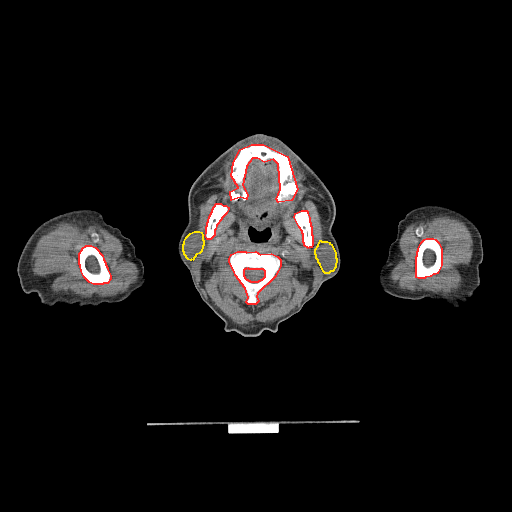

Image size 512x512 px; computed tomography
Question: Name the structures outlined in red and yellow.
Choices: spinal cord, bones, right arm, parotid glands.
Answer: red: bones; yellow: parotid glands.
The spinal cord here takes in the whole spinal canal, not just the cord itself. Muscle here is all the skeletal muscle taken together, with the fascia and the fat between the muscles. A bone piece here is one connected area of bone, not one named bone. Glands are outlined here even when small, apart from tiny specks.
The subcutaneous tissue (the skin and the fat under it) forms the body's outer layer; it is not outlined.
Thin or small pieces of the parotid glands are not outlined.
{"bones":[[[251,144],[263,144],[287,156],[297,189],[291,200],[278,202],[276,199],[280,189],[278,164],[273,159],[264,162],[257,158],[252,158],[246,166],[242,185],[247,194],[246,199],[240,197],[231,200],[230,191],[238,187],[231,176],[233,162],[240,149]],{"outer":[[237,251],[245,251],[246,252],[255,251],[260,254],[271,253],[277,256],[280,259],[280,266],[278,270],[274,277],[257,293],[256,296],[258,301],[255,304],[248,304],[246,302],[248,297],[245,288],[235,275],[234,271],[229,262],[229,258],[231,254]],"hole":[[247,267],[248,268],[262,268],[264,270],[264,277],[261,280],[260,280],[259,281],[258,281],[257,282],[251,282],[250,281],[249,281],[248,280],[247,280],[245,278],[245,277],[244,276],[244,269],[245,268],[246,268]]},[[86,245],[91,245],[95,247],[102,255],[103,259],[105,262],[105,264],[107,267],[107,269],[110,275],[110,279],[107,283],[103,283],[102,284],[93,284],[89,282],[84,277],[81,271],[80,265],[79,264],[79,253],[82,249],[82,248]],[[426,238],[433,238],[435,239],[438,242],[441,248],[441,265],[437,273],[435,274],[433,274],[430,276],[425,277],[424,278],[418,278],[416,277],[416,256],[417,255],[417,251],[418,250],[418,248],[421,242],[424,239]],[[301,210],[306,210],[307,211],[307,213],[309,217],[309,221],[310,222],[310,225],[311,226],[311,234],[312,235],[312,245],[311,247],[309,247],[308,248],[304,245],[304,243],[303,242],[303,234],[302,233],[302,231],[299,227],[294,217],[295,213]],[[216,203],[220,203],[223,205],[225,205],[228,207],[228,209],[226,213],[221,218],[221,219],[216,225],[215,229],[214,230],[214,235],[210,239],[207,239],[205,235],[206,233],[206,226],[207,225],[207,222],[208,221],[209,216],[212,211],[212,209]]],"parotid_glands":[[[320,240],[321,241],[327,241],[329,242],[329,243],[331,244],[335,253],[335,257],[336,258],[335,267],[332,271],[330,271],[328,273],[325,273],[323,271],[320,264],[318,262],[318,260],[316,258],[316,255],[315,254],[315,249],[318,245]],[[194,231],[199,231],[201,232],[202,234],[202,239],[203,240],[203,245],[202,246],[201,251],[199,253],[196,254],[192,260],[191,259],[190,260],[188,259],[184,254],[184,252],[183,251],[183,244],[184,243],[184,241],[186,237],[190,233]]],"muscle":[{"outer":[[254,140],[271,142],[289,153],[296,160],[307,181],[322,194],[323,202],[325,203],[321,221],[324,240],[320,239],[318,241],[314,254],[324,273],[315,285],[309,288],[300,303],[288,313],[272,322],[259,323],[254,327],[244,328],[234,323],[215,305],[204,291],[203,283],[192,275],[190,265],[196,255],[202,251],[204,245],[202,232],[196,230],[199,219],[198,205],[202,200],[203,183],[222,167],[225,160],[235,149]],"holes":[[[251,144],[263,144],[287,156],[297,189],[291,200],[278,202],[276,199],[280,189],[278,164],[273,159],[264,162],[257,158],[252,158],[246,166],[242,185],[247,194],[246,199],[240,197],[231,200],[230,191],[238,187],[231,176],[233,162],[240,149]],[[237,251],[245,251],[246,252],[255,251],[260,254],[271,253],[277,256],[280,259],[280,266],[278,270],[274,277],[257,293],[256,296],[258,301],[255,304],[248,304],[246,302],[248,297],[245,288],[235,275],[234,271],[229,262],[229,258],[231,254]],[[301,210],[306,210],[307,211],[307,213],[309,217],[309,221],[310,222],[310,225],[311,226],[311,234],[312,235],[312,245],[311,247],[309,247],[308,248],[304,245],[304,243],[303,242],[303,234],[302,233],[302,231],[299,227],[294,217],[295,213]],[[216,203],[220,203],[223,205],[225,205],[228,207],[228,209],[226,213],[221,218],[221,219],[216,225],[215,229],[214,230],[214,235],[210,239],[207,239],[205,235],[206,233],[206,226],[207,225],[207,222],[208,221],[209,216],[212,211],[212,209]],[[251,227],[254,228],[257,231],[258,231],[259,232],[264,230],[266,228],[268,228],[270,230],[270,235],[269,236],[269,237],[266,240],[265,240],[264,241],[253,241],[250,238],[250,236],[248,233],[248,230],[249,229],[249,228],[250,228]]]},{"outer":[[61,221],[95,222],[117,237],[122,244],[125,256],[139,270],[136,282],[124,292],[113,296],[93,294],[90,297],[82,297],[70,291],[66,293],[53,292],[50,288],[51,276],[42,277],[33,274],[31,255],[38,239],[46,230]],"hole":[[86,245],[91,245],[95,247],[102,255],[103,259],[105,262],[105,264],[107,267],[107,269],[110,275],[110,279],[107,283],[103,283],[102,284],[93,284],[89,282],[84,277],[81,271],[80,265],[79,264],[79,253],[82,249],[82,248]]},{"outer":[[439,214],[445,214],[459,219],[467,226],[472,236],[473,252],[469,265],[464,268],[462,274],[462,286],[457,291],[445,295],[426,290],[411,291],[399,288],[395,283],[390,281],[388,275],[400,257],[399,241],[403,231],[409,224],[414,221],[431,218]],"hole":[[426,238],[433,238],[435,239],[438,242],[441,248],[441,265],[437,273],[435,274],[433,274],[430,276],[425,277],[424,278],[418,278],[416,277],[416,256],[417,255],[417,251],[418,250],[418,248],[421,242],[424,239]]}],"head_and_neck":[{"outer":[[254,133],[275,136],[283,141],[329,190],[335,204],[331,231],[338,245],[340,266],[297,313],[278,325],[276,331],[266,329],[257,336],[244,336],[226,331],[224,322],[202,300],[189,270],[180,259],[178,242],[188,222],[188,193],[193,182],[220,154]],"hole":[[251,227],[254,228],[257,231],[258,231],[259,232],[264,230],[266,228],[268,228],[270,230],[270,235],[269,236],[269,237],[266,240],[265,240],[264,241],[253,241],[250,238],[250,236],[248,233],[248,230],[249,229],[249,228],[250,228]]}],"left_arm":[[[426,204],[439,204],[461,212],[475,224],[481,235],[483,260],[479,265],[480,284],[473,295],[457,309],[442,301],[434,301],[429,298],[413,300],[396,297],[385,292],[381,288],[378,281],[380,268],[387,258],[390,244],[396,237],[398,222],[410,210]]],"spinal_cord":[[[247,267],[248,268],[262,268],[264,270],[264,277],[261,280],[260,280],[259,281],[258,281],[257,282],[251,282],[250,281],[249,281],[248,280],[247,280],[245,278],[245,277],[244,276],[244,269],[245,268],[246,268]]],"right_arm":[[[75,209],[92,209],[100,212],[108,224],[120,229],[134,245],[135,253],[143,263],[146,277],[144,283],[124,300],[115,303],[101,303],[95,306],[78,306],[64,303],[47,306],[40,302],[35,292],[27,294],[21,289],[17,264],[28,238],[44,221]]]}